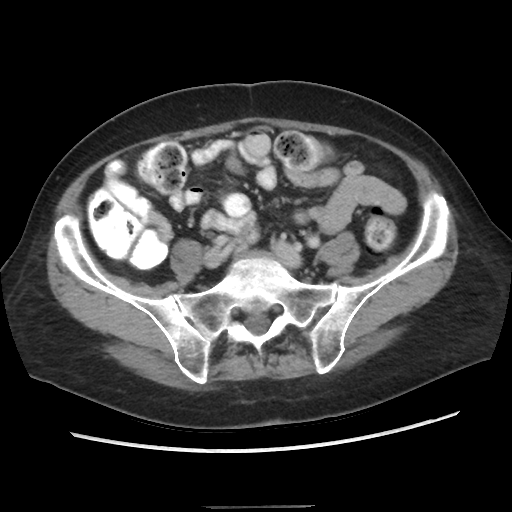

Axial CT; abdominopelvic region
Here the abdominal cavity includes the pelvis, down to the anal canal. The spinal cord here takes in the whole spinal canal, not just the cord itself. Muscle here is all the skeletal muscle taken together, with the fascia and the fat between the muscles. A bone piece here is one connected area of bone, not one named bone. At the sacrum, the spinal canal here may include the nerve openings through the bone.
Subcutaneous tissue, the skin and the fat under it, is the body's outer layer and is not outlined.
{"spinal_cord":[[[275,305],[281,306],[282,307],[282,311],[273,318],[265,332],[261,334],[253,333],[245,325],[243,321],[239,320],[237,316],[233,316],[231,314],[231,310],[233,308],[238,308],[240,310],[246,312],[247,314],[251,313],[258,314],[263,312],[266,313]]],"torso":[[[281,79],[326,84],[376,100],[422,127],[454,161],[490,218],[511,238],[507,303],[490,358],[359,411],[315,421],[244,429],[192,429],[155,423],[32,378],[24,365],[9,325],[0,267],[17,245],[33,203],[55,165],[98,125],[149,98],[192,86]]],"abdominal_cavity":[[[255,123],[355,136],[403,160],[419,215],[401,251],[356,275],[360,244],[344,230],[312,261],[332,281],[299,280],[278,259],[254,254],[193,292],[184,288],[205,248],[195,239],[170,248],[175,280],[150,285],[102,264],[81,200],[96,170],[136,148]]],"muscle":[[[250,116],[359,131],[423,162],[443,187],[455,219],[458,255],[454,271],[447,283],[411,314],[409,327],[400,337],[341,371],[324,374],[344,353],[346,332],[364,303],[388,283],[445,252],[451,215],[446,198],[434,189],[427,192],[412,246],[398,263],[370,281],[345,285],[328,278],[328,271],[314,264],[324,243],[344,231],[352,232],[360,248],[352,273],[361,276],[401,252],[417,230],[418,184],[404,160],[391,150],[355,135],[263,122],[241,123],[207,136],[131,149],[96,169],[82,191],[83,231],[91,251],[110,272],[155,286],[176,280],[170,267],[171,248],[187,238],[204,248],[201,269],[183,292],[155,298],[127,291],[97,267],[84,241],[80,218],[64,213],[54,222],[52,235],[60,262],[72,274],[145,313],[167,339],[181,372],[200,385],[208,381],[212,342],[223,332],[229,341],[251,344],[261,354],[263,345],[287,326],[311,326],[307,335],[317,375],[281,380],[263,377],[207,391],[167,386],[112,359],[100,345],[104,338],[56,301],[46,269],[54,208],[82,171],[118,149],[160,134]]],"bones":[{"outer":[[431,190],[450,213],[444,252],[363,303],[323,374],[312,326],[289,324],[261,353],[223,331],[211,342],[207,381],[193,381],[155,322],[72,273],[53,235],[61,216],[77,216],[99,271],[142,297],[206,290],[254,255],[302,282],[355,286],[408,254]],"hole":[[275,305],[281,306],[282,307],[282,311],[273,318],[265,332],[261,334],[253,333],[245,325],[243,321],[239,320],[237,316],[233,316],[231,314],[231,310],[233,308],[238,308],[240,310],[246,312],[247,314],[251,313],[258,314],[263,312],[266,313]]}]}